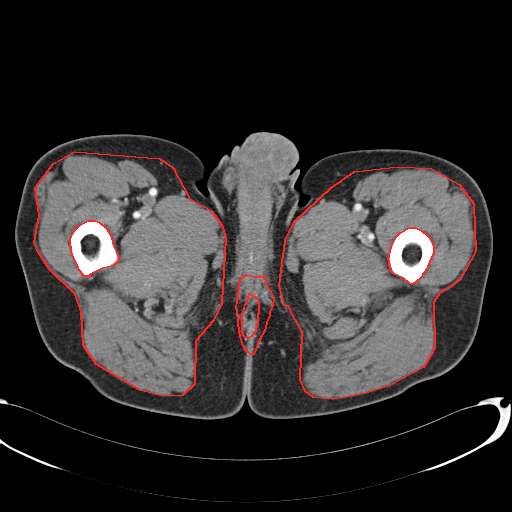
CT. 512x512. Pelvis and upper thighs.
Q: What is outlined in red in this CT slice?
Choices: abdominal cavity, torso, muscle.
A: red: muscle.
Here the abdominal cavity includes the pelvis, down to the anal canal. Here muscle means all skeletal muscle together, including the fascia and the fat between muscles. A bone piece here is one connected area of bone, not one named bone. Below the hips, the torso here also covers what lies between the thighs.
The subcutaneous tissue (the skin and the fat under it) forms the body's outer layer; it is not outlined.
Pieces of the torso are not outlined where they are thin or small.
The muscle appears in 3 outlined pieces: piece 1: [[398,166],[431,168],[459,184],[473,203],[475,251],[459,280],[439,293],[433,302],[434,348],[423,367],[390,385],[365,393],[332,399],[313,397],[305,391],[300,379],[302,332],[288,306],[284,305],[279,285],[285,240],[294,221],[331,187],[354,171]], around a hole outlined by [[409,227],[415,227],[421,230],[428,236],[433,245],[433,252],[429,261],[429,263],[427,266],[427,268],[422,274],[420,278],[412,284],[409,283],[403,278],[394,274],[391,271],[391,269],[389,266],[389,261],[388,260],[391,246],[396,236],[400,232]]; piece 2: [[74,151],[159,158],[172,167],[189,198],[211,210],[221,224],[225,237],[221,303],[213,320],[195,341],[194,384],[182,395],[163,396],[140,390],[96,364],[83,345],[81,311],[75,294],[49,269],[38,252],[34,242],[39,215],[35,187],[53,163]], around a hole outlined by [[88,220],[95,220],[99,222],[106,228],[111,236],[112,243],[118,255],[118,260],[116,263],[111,266],[102,268],[90,274],[88,276],[84,276],[79,270],[77,264],[73,257],[71,251],[71,247],[70,246],[70,238],[74,230],[80,224]]; piece 3: [[246,274],[255,276],[260,276],[261,275],[265,279],[265,283],[273,297],[272,305],[269,312],[269,315],[266,322],[264,331],[259,339],[253,354],[251,354],[246,351],[243,346],[239,332],[237,310],[236,309],[237,299],[238,298],[239,282],[240,279]]; inner edge: [[249,293],[253,296],[254,296],[257,299],[257,302],[258,303],[258,313],[257,314],[257,323],[256,324],[255,331],[251,336],[247,338],[243,335],[243,333],[242,332],[242,313],[243,312],[245,304],[247,301]]. The bones appear in 2 outlined pieces: piece 1: [[88,220],[95,220],[99,222],[106,228],[111,236],[112,243],[118,255],[118,260],[116,263],[111,266],[102,268],[90,274],[88,276],[84,276],[79,270],[77,264],[73,257],[71,251],[71,247],[70,246],[70,238],[74,230],[80,224]]; piece 2: [[409,227],[415,227],[421,230],[428,236],[433,245],[433,252],[429,261],[429,263],[427,266],[427,268],[422,274],[420,278],[412,284],[409,283],[403,278],[394,274],[391,271],[391,269],[389,266],[389,261],[388,260],[391,246],[396,236],[400,232]]. The torso is outlined by [[255,132],[279,134],[295,146],[295,168],[299,172],[294,185],[298,189],[300,185],[302,205],[275,236],[269,264],[274,305],[258,305],[249,311],[259,321],[249,354],[241,322],[244,307],[231,283],[238,256],[235,237],[219,204],[208,194],[205,174]]. The abdominal cavity is outlined by [[249,293],[253,296],[254,296],[257,299],[257,302],[258,303],[258,313],[257,314],[257,323],[256,324],[255,331],[251,336],[247,338],[243,335],[243,333],[242,332],[242,313],[243,312],[245,304],[247,301]]. The left leg is outlined by [[375,148],[437,155],[464,169],[479,186],[491,221],[493,253],[473,342],[451,369],[388,399],[318,416],[261,417],[248,405],[249,355],[254,352],[260,321],[250,311],[275,305],[270,264],[276,236],[308,200],[301,193],[301,182],[316,161],[338,152]]. The right leg is outlined by [[119,133],[156,136],[191,150],[201,160],[205,172],[197,187],[218,204],[233,233],[237,256],[230,283],[243,307],[240,322],[249,366],[248,401],[230,417],[182,417],[113,401],[59,362],[48,351],[37,329],[14,236],[26,177],[45,152],[63,142]].